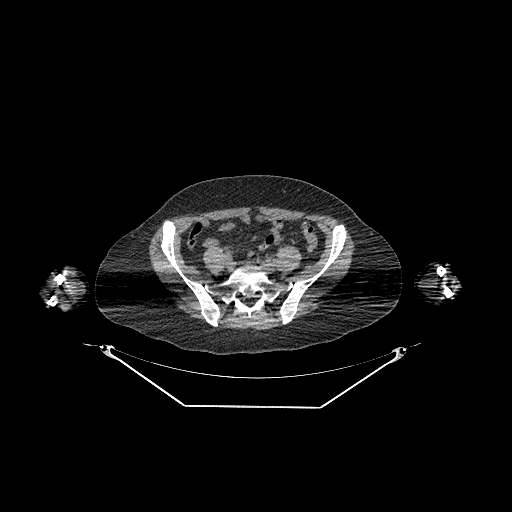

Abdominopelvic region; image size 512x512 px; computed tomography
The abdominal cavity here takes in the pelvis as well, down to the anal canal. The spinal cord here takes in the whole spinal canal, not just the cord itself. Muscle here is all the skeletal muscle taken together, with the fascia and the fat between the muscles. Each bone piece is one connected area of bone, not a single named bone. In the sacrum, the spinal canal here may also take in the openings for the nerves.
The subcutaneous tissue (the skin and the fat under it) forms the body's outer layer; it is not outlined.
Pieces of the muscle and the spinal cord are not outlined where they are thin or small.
Outlines:
torso: (243, 174) (272, 174) (305, 180) (344, 201) (364, 222) (386, 239) (399, 259) (402, 272) (402, 289) (395, 307) (372, 324) (333, 341) (295, 350) (228, 355) (181, 349) (107, 319) (97, 308) (94, 282) (98, 266) (111, 245) (138, 226) (167, 199) (184, 187) (202, 180)
abdominal cavity: (252, 210) (285, 220) (302, 218) (315, 222) (325, 234) (324, 247) (317, 261) (307, 263) (292, 275) (280, 277) (279, 280) (270, 277) (263, 265) (245, 263) (236, 266) (226, 278) (219, 281) (208, 272) (186, 263) (181, 250) (182, 233) (194, 220) (221, 220) (241, 216) with a hole at (286, 245) (288, 245) (289, 246) (293, 246) (297, 248) (299, 251) (299, 253) (302, 256) (302, 261) (301, 262) (301, 264) (298, 267) (294, 268) (289, 272) (283, 275) (282, 273) (276, 269) (274, 259) (278, 253) (278, 250) (280, 248) (282, 248)
right arm: (64, 264) (69, 264) (75, 266) (85, 274) (88, 280) (88, 290) (89, 291) (88, 292) (88, 297) (85, 303) (77, 308) (66, 312) (62, 312) (57, 309) (47, 308) (45, 306) (45, 304) (40, 299) (38, 294) (38, 290) (42, 284) (44, 278) (54, 269) (59, 268)
bones 1: (166, 219) (175, 225) (174, 255) (181, 270) (212, 289) (245, 264) (261, 265) (285, 284) (309, 278) (329, 256) (333, 228) (343, 224) (347, 237) (339, 255) (304, 292) (290, 322) (283, 325) (279, 318) (285, 292) (251, 316) (215, 296) (221, 316) (214, 327) (161, 249) with a hole at (258, 293) (260, 293) (261, 294) (260, 299) (259, 300) (255, 300) (254, 301) (254, 303) (252, 305) (249, 306) (248, 305) (245, 304) (243, 302) (243, 301) (242, 300) (242, 298) (247, 298) (248, 299) (250, 299) (251, 298) (252, 299) (254, 299) (255, 298) (256, 295)
bones 2: (445, 284) (448, 287) (449, 287) (451, 289) (451, 290) (453, 292) (453, 295) (452, 295) (451, 296) (450, 296) (449, 297) (447, 297) (446, 296) (445, 296) (445, 295) (443, 293) (443, 287) (442, 286) (443, 286)
bones 3: (60, 273) (65, 278) (65, 279) (64, 280) (64, 281) (61, 284) (60, 284) (59, 285) (58, 284) (57, 284) (57, 283) (55, 281) (54, 281) (53, 280) (53, 278) (54, 277) (54, 276) (55, 276) (56, 275) (57, 275) (58, 274) (59, 274)
bones 4: (438, 266) (442, 266) (443, 267) (444, 267) (445, 268) (445, 269) (446, 270) (446, 272) (442, 276) (440, 276) (437, 273) (437, 272) (436, 271) (436, 269) (437, 268) (437, 267)
bones 5: (53, 295) (56, 295) (56, 296) (57, 297) (57, 302) (56, 303) (56, 305) (49, 305) (49, 297) (51, 297)
spinal cord: (258, 293) (260, 293) (261, 294) (260, 299) (259, 300) (255, 300) (254, 301) (254, 303) (252, 305) (249, 306) (248, 305) (245, 304) (243, 302) (243, 301) (242, 300) (242, 298) (247, 298) (248, 299) (250, 299) (251, 298) (252, 299) (254, 299) (255, 298) (256, 295)
left arm: (433, 261) (440, 261) (443, 263) (447, 262) (450, 264) (452, 267) (453, 273) (456, 275) (459, 280) (463, 282) (464, 285) (461, 291) (461, 293) (459, 295) (459, 297) (452, 300) (448, 300) (442, 304) (434, 304) (424, 301) (415, 295) (413, 285) (417, 273) (425, 265)
muscle 1: (252, 205) (330, 215) (343, 219) (350, 227) (352, 238) (355, 242) (353, 260) (350, 267) (317, 309) (295, 321) (291, 322) (299, 310) (299, 303) (303, 295) (336, 260) (345, 246) (348, 235) (343, 223) (338, 223) (332, 228) (329, 253) (320, 269) (309, 277) (294, 281) (289, 280) (286, 283) (280, 281) (280, 278) (292, 276) (305, 265) (317, 262) (325, 247) (326, 234) (324, 231) (315, 221) (302, 217) (285, 219) (276, 215) (262, 213) (257, 209) (252, 209) (241, 215) (221, 219) (208, 217) (194, 219) (181, 233) (181, 254) (186, 264) (195, 266) (198, 270) (209, 274) (216, 282) (213, 288) (207, 283) (204, 284) (189, 278) (182, 270) (176, 258) (174, 244) (176, 225) (173, 220) (166, 218) (187, 213) (199, 213)
muscle 2: (164, 219) (161, 224) (160, 249) (170, 266) (194, 294) (198, 302) (200, 314) (206, 323) (214, 328) (219, 325) (219, 320) (222, 316) (221, 308) (215, 297) (226, 305) (232, 303) (236, 312) (245, 313) (251, 317) (253, 312) (259, 311) (266, 303) (273, 303) (285, 293) (277, 311) (280, 323) (284, 326) (259, 330) (250, 327) (244, 329) (223, 328) (214, 330) (189, 316) (177, 306) (162, 285) (163, 283) (157, 274) (149, 267) (148, 246) (150, 238)
muscle 3: (63, 269) (70, 270) (75, 272) (78, 278) (84, 286) (85, 292) (80, 299) (68, 306) (61, 308) (58, 305) (58, 297) (55, 293) (48, 297) (48, 305) (46, 304) (45, 289) (47, 284) (52, 279) (59, 286) (65, 281) (66, 278) (60, 272) (59, 273)
muscle 4: (435, 265) (437, 265) (435, 271) (440, 277) (442, 277) (447, 272) (446, 267) (449, 268) (455, 276) (456, 275) (460, 283) (460, 287) (455, 295) (452, 289) (445, 283) (441, 286) (442, 293) (446, 297) (442, 299) (429, 298) (420, 293) (418, 289) (419, 278) (431, 267)
muscle 5: (286, 245) (288, 245) (289, 246) (293, 246) (297, 248) (299, 251) (299, 253) (302, 256) (302, 261) (301, 262) (301, 264) (298, 267) (294, 268) (289, 272) (283, 275) (282, 273) (276, 269) (274, 259) (278, 253) (278, 250) (280, 248) (282, 248)
muscle 6: (212, 248) (217, 248) (219, 250) (220, 250) (222, 252) (223, 255) (225, 256) (225, 263) (223, 265) (223, 267) (222, 269) (216, 272) (211, 272) (209, 271) (205, 267) (205, 265) (203, 262) (203, 256) (205, 252) (206, 252) (208, 250)